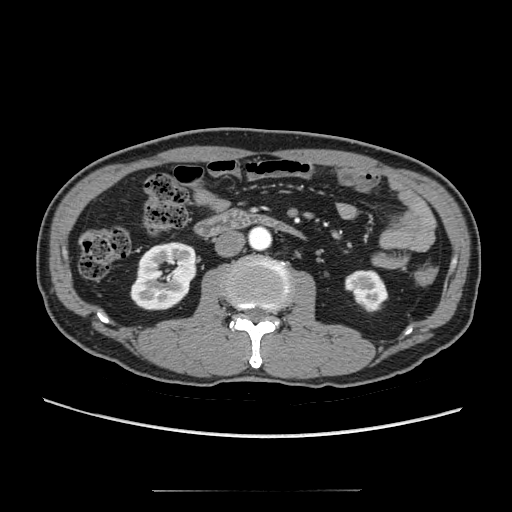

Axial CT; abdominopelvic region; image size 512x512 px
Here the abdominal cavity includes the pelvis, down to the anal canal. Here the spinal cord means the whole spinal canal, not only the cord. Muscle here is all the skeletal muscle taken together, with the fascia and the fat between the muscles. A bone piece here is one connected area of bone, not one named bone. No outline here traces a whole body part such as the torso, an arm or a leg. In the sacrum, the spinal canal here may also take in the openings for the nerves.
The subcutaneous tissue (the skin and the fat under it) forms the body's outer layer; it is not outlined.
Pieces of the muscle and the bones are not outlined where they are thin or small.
{"abdominal_cavity":[[[259,155],[365,166],[409,183],[435,209],[451,246],[433,311],[394,337],[371,340],[349,325],[317,320],[314,277],[259,253],[208,269],[200,281],[198,303],[188,317],[162,319],[149,326],[124,325],[83,299],[74,286],[68,238],[90,201],[137,170]]],"muscle":[{"outer":[[193,145],[227,146],[251,151],[275,151],[300,148],[334,149],[349,151],[369,156],[395,168],[403,168],[420,173],[435,180],[447,190],[460,207],[470,237],[470,257],[466,279],[463,285],[461,297],[454,314],[446,323],[434,329],[433,336],[426,341],[403,349],[383,359],[373,366],[367,366],[349,374],[323,376],[307,379],[277,377],[270,375],[259,368],[247,369],[233,375],[213,375],[210,377],[196,377],[184,373],[178,373],[159,367],[146,360],[141,359],[134,355],[119,342],[94,330],[90,326],[90,323],[87,319],[68,309],[59,300],[53,289],[49,269],[49,235],[52,219],[59,203],[77,182],[91,172],[101,167],[110,164],[128,163],[155,155],[172,148]],"hole":[[259,155],[365,166],[409,183],[457,260],[433,311],[408,335],[371,340],[317,320],[314,277],[290,267],[291,298],[253,368],[248,333],[229,327],[236,310],[221,293],[220,263],[203,274],[188,317],[101,321],[74,286],[68,251],[86,205],[137,170]]}],"spinal_cord":[[[255,307],[259,307],[264,310],[266,310],[268,311],[270,313],[270,314],[265,319],[263,320],[261,320],[255,323],[251,320],[250,320],[248,318],[245,317],[243,313],[243,311],[244,311],[246,309],[250,309],[251,308],[254,308]]],"bones":[{"outer":[[259,254],[284,261],[287,264],[291,275],[292,295],[286,305],[276,314],[280,320],[279,326],[261,337],[259,353],[262,362],[258,368],[253,368],[249,362],[250,337],[244,330],[231,330],[229,327],[236,310],[222,295],[220,284],[228,264],[246,255]],"hole":[[255,307],[259,307],[264,310],[266,310],[268,311],[270,313],[270,314],[265,319],[263,320],[261,320],[255,323],[251,320],[250,320],[248,318],[245,317],[243,313],[243,311],[244,311],[246,309],[250,309],[251,308],[254,308]]},[[99,309],[101,309],[102,310],[102,311],[104,313],[105,313],[106,314],[106,315],[111,320],[111,321],[112,322],[112,323],[104,323],[102,321],[101,321],[98,318],[98,317],[97,316],[97,311]]]}